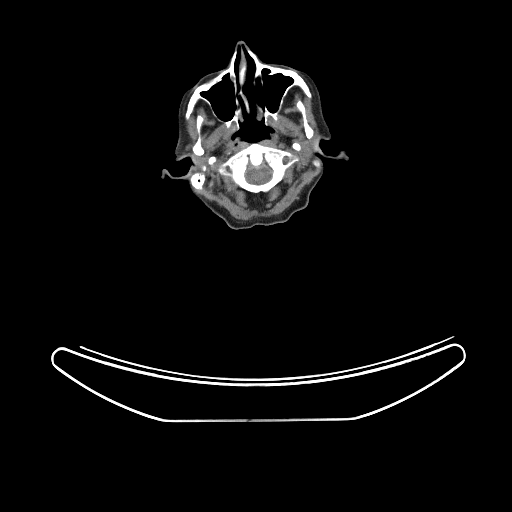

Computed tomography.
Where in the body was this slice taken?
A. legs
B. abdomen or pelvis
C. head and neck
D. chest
C. head and neck
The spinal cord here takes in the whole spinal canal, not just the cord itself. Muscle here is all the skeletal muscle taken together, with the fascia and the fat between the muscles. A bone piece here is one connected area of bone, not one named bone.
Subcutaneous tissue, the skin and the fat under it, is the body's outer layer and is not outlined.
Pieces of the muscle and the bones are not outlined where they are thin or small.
Outlined structures:
brain 1: (249, 164) (250, 164) (251, 165) (252, 166) (253, 167) (253, 168) (252, 168) (251, 169) (250, 169) (249, 169) (248, 169) (247, 169) (247, 168) (247, 167) (248, 166) (248, 165)
brain 2: (264, 162) (265, 163) (266, 164) (266, 165) (267, 166) (266, 166) (265, 167) (264, 167) (263, 167) (262, 167) (261, 167) (260, 166) (261, 165) (262, 164) (263, 163)
muscle: (294, 87) (313, 98) (312, 111) (320, 137) (314, 144) (311, 163) (319, 171) (302, 189) (299, 198) (281, 213) (249, 220) (236, 219) (197, 191) (203, 188) (207, 167) (203, 164) (201, 170) (196, 171) (196, 161) (185, 149) (189, 141) (185, 120) (201, 100) (227, 129) (233, 125) (232, 137) (249, 143) (221, 162) (217, 171) (248, 192) (265, 193) (299, 160) (289, 150) (259, 141) (272, 132) (269, 119) (275, 122) (279, 119) (285, 99), around holes outlined by (197, 115) (201, 115) (203, 117) (203, 122) (202, 123) (201, 131) (200, 132) (200, 134) (201, 135) (201, 145) (204, 150) (204, 152) (202, 155) (196, 155) (194, 154) (194, 153) (192, 151) (192, 146) (196, 142) (198, 138) (197, 128) (196, 127) (196, 118) (197, 117) and by (299, 99) (301, 100) (301, 101) (304, 105) (307, 122) (313, 130) (313, 135) (311, 138) (307, 138) (305, 135) (305, 132) (304, 131) (304, 128) (303, 127) (303, 121) (302, 120) (302, 117) (301, 116) (301, 114) (298, 111) (297, 109) (297, 107) (296, 106) (296, 102) and by (211, 156) (212, 156) (213, 156) (214, 156) (215, 156) (215, 157) (216, 158) (216, 159) (216, 160) (215, 161) (214, 162) (213, 163) (212, 164) (211, 164) (210, 164) (209, 164) (208, 163) (208, 162) (208, 161) (208, 160) (208, 159) (209, 158) (210, 157) and by (294, 143) (295, 143) (296, 143) (297, 143) (298, 144) (299, 145) (300, 146) (300, 147) (300, 148) (300, 149) (299, 150) (298, 150) (297, 150) (296, 150) (295, 149) (294, 148) (293, 148) (293, 147) (292, 146) (292, 145) (293, 144)
spinal cord: (268, 166) (271, 169) (271, 176) (270, 178) (267, 181) (265, 182) (263, 182) (262, 183) (252, 183) (251, 182) (249, 182) (247, 180) (245, 176) (245, 173) (247, 170) (251, 170) (253, 169) (254, 167) (255, 168) (258, 168) (259, 167) (261, 168) (265, 168)
head: (240, 39) (264, 62) (313, 79) (331, 133) (319, 146) (329, 155) (344, 150) (349, 159) (323, 158) (324, 172) (307, 206) (285, 222) (236, 230) (187, 181) (160, 175) (163, 168) (175, 176) (188, 170) (190, 158) (176, 161) (174, 154) (180, 100) (202, 76) (227, 64); inner edges: (245, 51) (253, 61) (251, 83) (254, 94) (262, 93) (264, 70) (268, 76) (280, 75) (290, 80) (275, 111) (255, 103) (255, 118) (263, 120) (264, 125) (272, 130) (267, 137) (253, 142) (233, 137) (244, 120) (240, 102) (246, 112) (250, 112) (244, 91) (248, 72), then (226, 76) (228, 78) (229, 81) (231, 82) (232, 84) (233, 93) (234, 94) (234, 103) (235, 104) (235, 108) (233, 111) (233, 115) (229, 119) (223, 120) (217, 115) (212, 106) (212, 104) (210, 100) (204, 95) (204, 93) (208, 92) (216, 84) (221, 82), then (237, 52) (239, 52) (239, 60) (238, 61) (238, 70) (237, 71) (237, 72) (236, 72) (235, 71) (235, 60) (236, 59) (236, 57) (237, 56)
bones 1: (254, 142) (259, 142) (265, 146) (289, 151) (298, 157) (298, 160) (285, 170) (282, 179) (265, 192) (261, 191) (256, 193) (248, 191) (235, 183) (230, 176) (223, 175) (218, 171) (218, 167) (221, 163) (227, 160) (230, 156) (236, 152) (245, 148) (250, 143) with a hole at (264, 162) (266, 164) (266, 165) (268, 166) (271, 169) (271, 176) (270, 178) (267, 181) (265, 182) (263, 182) (262, 183) (252, 183) (251, 182) (249, 182) (247, 180) (245, 176) (245, 173) (247, 170) (247, 167) (248, 165) (250, 164) (253, 167) (255, 168) (258, 168)
bones 2: (235, 50) (244, 51) (247, 62) (243, 91) (249, 112) (243, 102) (241, 100) (239, 102) (243, 117) (243, 120) (239, 122) (239, 129) (236, 131) (233, 124) (227, 128) (213, 114) (207, 103) (201, 99) (195, 104) (186, 120) (184, 116) (187, 104) (195, 88) (227, 68) with holes at (226, 76) (228, 78) (229, 81) (231, 82) (232, 84) (233, 93) (234, 94) (234, 103) (235, 104) (235, 108) (233, 111) (233, 115) (229, 119) (223, 120) (217, 115) (212, 106) (212, 104) (210, 100) (204, 95) (204, 93) (208, 92) (216, 84) (221, 82) and at (237, 52) (239, 52) (239, 60) (238, 61) (238, 70) (237, 71) (237, 72) (236, 72) (235, 71) (235, 60) (236, 59) (236, 57) (237, 56)
bones 3: (247, 49) (264, 64) (295, 70) (312, 96) (308, 97) (297, 86) (292, 87) (284, 99) (278, 119) (275, 121) (270, 117) (268, 125) (265, 125) (263, 119) (256, 118) (256, 103) (275, 112) (291, 80) (280, 74) (268, 75) (264, 69) (261, 93) (254, 93) (255, 66)
bones 4: (197, 115) (201, 115) (203, 117) (203, 122) (202, 123) (201, 131) (200, 132) (200, 134) (201, 135) (201, 145) (204, 150) (204, 152) (202, 155) (196, 155) (194, 154) (194, 153) (192, 151) (192, 146) (196, 142) (198, 138) (197, 128) (196, 127) (196, 118) (197, 117)
bones 5: (299, 99) (301, 100) (301, 101) (304, 105) (307, 122) (313, 130) (313, 135) (311, 138) (307, 138) (305, 135) (305, 132) (304, 131) (304, 128) (303, 127) (303, 121) (302, 120) (302, 117) (301, 116) (301, 114) (298, 111) (297, 109) (297, 107) (296, 106) (296, 102)
bones 6: (203, 165) (204, 165) (206, 167) (205, 170) (203, 172) (205, 176) (205, 179) (204, 180) (204, 183) (202, 186) (202, 188) (199, 190) (198, 189) (196, 189) (191, 184) (190, 182) (190, 177) (193, 173) (195, 172) (200, 172) (202, 170) (201, 167)